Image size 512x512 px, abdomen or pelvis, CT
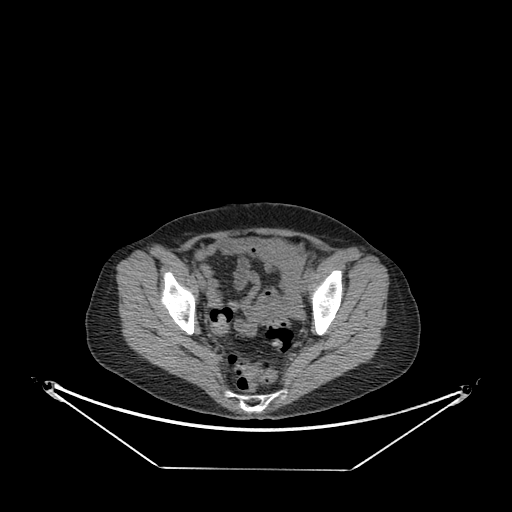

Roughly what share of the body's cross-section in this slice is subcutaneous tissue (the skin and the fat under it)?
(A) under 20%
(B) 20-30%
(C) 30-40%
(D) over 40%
Answer: (C) 30-40%
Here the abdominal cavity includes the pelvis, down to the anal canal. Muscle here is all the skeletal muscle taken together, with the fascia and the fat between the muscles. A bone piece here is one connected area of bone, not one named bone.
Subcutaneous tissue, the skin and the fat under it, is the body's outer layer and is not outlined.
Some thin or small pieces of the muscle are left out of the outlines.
Outlines:
muscle: 250 227; 291 229; 314 235; 334 247; 356 246; 362 250; 363 248; 366 254; 374 255; 379 259; 387 268; 389 275; 386 323; 383 329; 382 341; 374 356; 368 362; 358 365; 291 403; 266 413; 236 413; 231 411; 220 405; 196 385; 168 373; 145 360; 132 350; 127 345; 121 332; 118 313; 117 284; 115 279; 116 265; 136 249; 145 250; 153 243; 158 243; 166 247; 177 247; 197 234 with holes at 251 232; 301 237; 327 254; 307 273; 306 288; 310 303; 314 289; 333 270; 338 269; 342 272; 342 299; 335 317; 322 335; 316 333; 311 317; 311 335; 289 362; 279 381; 277 389; 287 389; 286 396; 275 397; 260 412; 246 412; 239 406; 237 398; 224 395; 225 390; 233 390; 226 377; 224 359; 201 335; 197 311; 200 283; 196 274; 190 271; 189 266; 179 256; 201 239; 221 239 and at 166 271; 170 271; 173 274; 175 279; 182 286; 189 289; 192 292; 195 297; 194 332; 191 335; 187 334; 186 332; 173 320; 173 319; 170 316; 168 311; 161 302; 161 294; 162 293; 162 290; 164 287; 164 279; 163 278; 163 274
abdominal cavity: 251 232; 262 235; 301 237; 327 254; 307 273; 306 288; 311 305; 311 335; 283 371; 279 387; 266 393; 239 393; 231 388; 226 377; 224 359; 201 335; 197 311; 200 283; 196 274; 190 271; 189 266; 179 256; 201 239; 221 239
bones 1: 336 269; 341 270; 342 272; 342 299; 341 300; 339 308; 335 315; 335 317; 330 323; 326 331; 322 335; 318 335; 315 331; 315 328; 314 327; 314 322; 313 321; 313 317; 312 316; 311 295; 314 289; 333 270; 335 270
bones 2: 166 271; 170 271; 173 274; 175 279; 182 286; 189 289; 192 292; 195 297; 194 332; 191 335; 187 334; 186 332; 173 320; 173 319; 170 316; 168 311; 161 302; 161 294; 162 293; 162 290; 164 287; 164 279; 163 278; 163 274
bones 3: 280 389; 287 389; 286 396; 284 398; 281 398; 279 396; 275 397; 260 412; 246 412; 239 406; 239 400; 237 398; 235 397; 226 397; 224 395; 224 391; 225 390; 230 390; 235 393; 238 393; 239 394; 266 394; 267 393; 274 392
torso: 253 201; 297 204; 328 214; 355 230; 399 266; 416 300; 421 321; 419 350; 406 372; 380 389; 325 411; 279 420; 233 420; 198 413; 157 399; 107 370; 93 358; 86 343; 85 312; 101 267; 116 249; 146 236; 176 217; 224 203